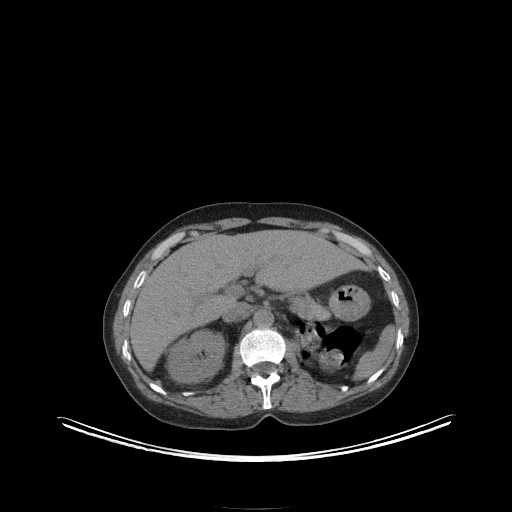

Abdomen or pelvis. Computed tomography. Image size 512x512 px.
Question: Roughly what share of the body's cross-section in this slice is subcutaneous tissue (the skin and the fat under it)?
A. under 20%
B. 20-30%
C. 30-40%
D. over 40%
Answer: A. under 20%
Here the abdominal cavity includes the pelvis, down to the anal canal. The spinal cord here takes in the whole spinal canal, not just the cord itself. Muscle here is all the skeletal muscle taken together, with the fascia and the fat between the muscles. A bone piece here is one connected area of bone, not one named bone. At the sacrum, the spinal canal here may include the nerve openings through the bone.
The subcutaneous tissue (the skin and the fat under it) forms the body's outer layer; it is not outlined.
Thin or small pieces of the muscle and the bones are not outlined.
Outlines:
spinal cord: 260,362 270,362 271,363 273,363 275,365 275,367 274,369 272,371 271,371 268,374 267,376 264,377 260,375 258,373 256,373 254,372 253,370 253,366 255,364 257,364
abdominal cavity: 253,223 327,233 354,248 375,268 393,306 397,328 385,363 365,381 348,386 315,379 300,366 293,341 270,327 246,332 233,345 229,373 208,389 168,391 140,368 129,348 129,314 139,288 160,258 195,235
bones 1: 255,328 270,328 276,330 284,338 286,345 286,349 281,361 282,370 280,374 280,379 272,385 270,390 270,402 272,406 269,409 262,408 262,391 259,387 250,382 249,370 242,361 239,353 240,340 246,333, around a hole outlined by 260,362 270,362 271,363 273,363 275,365 275,367 274,369 272,371 271,371 268,374 267,376 264,377 260,375 258,373 256,373 254,372 253,370 253,366 255,364 257,364
bones 2: 324,228 327,228 331,230 335,230 336,231 339,231 345,233 359,240 371,250 371,256 367,256 362,254 351,245 343,241 340,241 336,239 336,238 334,237 331,233 329,232 328,233 327,232 324,232 320,230
bones 3: 181,231 184,231 186,232 187,234 185,237 167,249 163,253 161,257 158,259 154,259 153,260 151,259 151,255 153,251 162,241 171,235 175,233 180,232
bones 4: 142,270 145,270 147,272 147,276 145,278 145,279 144,280 144,281 142,283 142,284 138,288 133,288 133,283 134,282 134,281 135,280 135,279 136,278 136,277 138,275 138,274 140,272 140,271 141,271
bones 5: 124,339 127,339 127,340 128,341 128,349 129,350 129,351 131,354 131,356 132,357 132,358 130,361 129,361 128,360 127,360 123,356 123,355 122,354 122,345 123,344 123,341 124,340
bones 6: 398,328 400,328 401,329 401,331 402,332 402,334 403,335 403,343 402,344 402,345 401,346 401,347 400,348 400,349 398,351 396,349 396,348 395,347 395,343 396,342 396,335 397,334 397,329
bones 7: 391,290 393,290 397,294 397,295 398,296 398,298 399,299 399,306 400,307 400,308 399,309 393,305 393,304 391,301 391,299 390,298 390,297 388,294 388,293
bones 8: 127,299 130,299 132,301 132,304 131,305 131,307 130,308 130,310 129,311 129,313 128,314 128,315 126,317 124,317 123,316 123,314 122,313 122,309 123,308 123,305 124,304 124,303 125,302 125,301
bones 9: 378,265 379,265 385,271 386,271 388,273 388,274 390,276 390,281 385,281 384,280 383,280 382,279 382,278 379,275 379,274 378,273 378,272 377,271 377,270 376,269 376,267
bones 10: 382,367 384,367 384,370 380,374 380,375 375,380 374,380 371,383 370,383 369,384 367,384 366,383 366,381 373,374 374,374 380,368 381,368
bones 11: 150,382 153,382 154,383 155,383 158,386 159,386 162,389 163,389 165,391 166,391 166,395 163,395 162,394 161,394 160,393 159,393 158,392 155,391 153,389 152,389 150,387 150,386 149,385 149,383
torso: 229,201 299,202 329,209 373,235 403,269 417,301 419,338 402,378 378,404 357,415 321,425 291,426 268,416 249,429 202,430 158,420 126,391 110,365 102,339 103,310 113,285 140,247 165,223 187,210
muscle 1: 270,216 323,221 345,228 367,239 394,271 410,312 409,335 395,373 381,387 327,409 303,413 270,409 273,406 271,390 281,379 283,370 282,361 287,349 285,339 295,345 297,362 302,369 317,381 339,385 342,392 349,387 364,382 369,385 375,381 385,370 384,365 394,347 398,352 404,343 404,335 396,325 393,310 393,307 401,308 399,296 393,289 388,292 384,284 384,281 391,281 391,276 379,264 372,267 358,253 371,257 372,250 345,232 327,227 318,230 253,222 198,233 185,240 182,240 188,234 184,230 168,236 188,224 231,217 255,220
muscle 2: 158,243 150,255 151,260 158,260 148,273 139,271 132,283 132,288 138,289 133,301 127,298 122,305 122,316 128,316 122,356 129,362 133,358 143,373 163,388 150,381 148,385 155,392 163,396 167,391 180,392 186,397 215,387 230,373 234,345 238,344 249,382 261,391 262,410 235,418 209,417 153,401 135,385 116,352 112,326 129,277